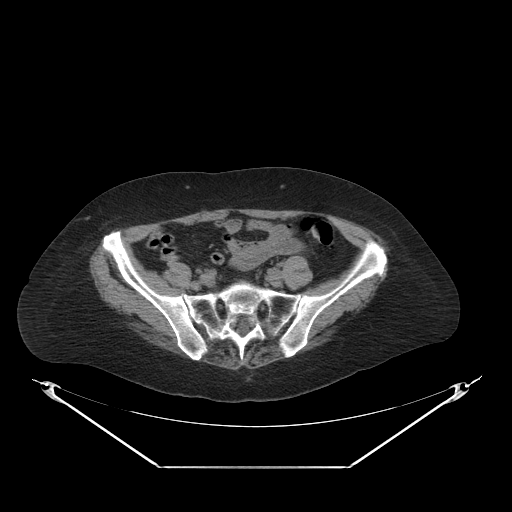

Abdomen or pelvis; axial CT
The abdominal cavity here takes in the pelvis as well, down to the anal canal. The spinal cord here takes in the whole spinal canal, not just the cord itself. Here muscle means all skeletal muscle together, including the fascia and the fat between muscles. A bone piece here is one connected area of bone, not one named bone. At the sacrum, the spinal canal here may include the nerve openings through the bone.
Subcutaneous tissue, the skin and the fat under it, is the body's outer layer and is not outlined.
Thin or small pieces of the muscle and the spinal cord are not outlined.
Outlines:
spinal cord: [[242,322],[247,322],[251,326],[251,327],[250,328],[250,329],[244,335],[240,335],[237,332],[237,331],[235,329],[235,327],[237,325],[237,324],[238,323],[241,323]]
muscle 1: [[227,207],[319,211],[353,221],[372,230],[387,241],[389,247],[387,275],[366,306],[353,317],[342,322],[331,340],[296,354],[308,343],[309,333],[315,319],[327,307],[363,280],[375,275],[381,278],[386,275],[385,268],[388,257],[385,249],[377,241],[369,238],[353,266],[336,286],[322,294],[303,294],[300,293],[309,286],[336,278],[349,266],[358,251],[358,248],[327,218],[315,214],[268,218],[232,211],[220,219],[196,221],[191,224],[168,222],[156,227],[132,244],[135,256],[147,270],[162,274],[174,261],[181,262],[189,267],[191,272],[189,288],[177,295],[162,294],[150,287],[135,269],[123,243],[121,231],[117,229],[108,232],[114,228],[153,223],[201,210]]
muscle 2: [[103,235],[101,239],[101,246],[106,252],[111,255],[123,280],[151,303],[162,314],[174,333],[176,345],[189,358],[182,357],[178,354],[154,345],[142,338],[131,329],[126,328],[117,318],[115,312],[105,305],[106,303],[100,298],[89,271],[89,258]]
muscle 3: [[285,327],[277,340],[277,345],[284,359],[251,370],[244,367],[231,370],[198,361],[208,350],[207,343],[201,330],[209,340],[229,339],[232,341],[237,347],[239,358],[242,360],[244,358],[245,348],[250,341],[254,339],[264,340],[267,334],[275,337]]
muscle 4: [[293,256],[301,256],[305,258],[307,262],[308,267],[312,272],[312,278],[310,282],[307,285],[302,286],[295,290],[292,290],[290,289],[286,285],[284,281],[284,279],[282,276],[282,269],[283,268],[283,265],[282,263],[288,258],[290,257],[292,257]]
torso: [[260,166],[291,166],[329,173],[355,182],[394,205],[432,249],[457,288],[460,319],[457,329],[449,338],[405,352],[295,397],[235,403],[162,393],[88,365],[43,361],[27,349],[16,321],[19,294],[45,248],[94,197],[122,182],[160,172],[219,172]]
abdominal cavity: [[232,212],[268,219],[320,216],[335,226],[357,251],[336,277],[309,285],[299,293],[276,290],[240,278],[217,291],[189,294],[185,292],[190,288],[192,272],[187,264],[171,261],[162,273],[147,269],[136,256],[133,244],[164,224],[191,225],[220,220]] with a hole at [[293,256],[301,256],[305,258],[307,262],[308,267],[312,272],[312,278],[310,282],[307,285],[302,286],[295,290],[292,290],[290,289],[286,285],[284,281],[284,279],[282,276],[282,269],[283,268],[283,265],[282,263],[288,258],[290,257],[292,257]]
bones: [[117,230],[140,277],[170,296],[217,292],[240,279],[322,295],[346,277],[369,239],[387,262],[383,277],[363,279],[327,306],[293,356],[278,345],[285,326],[250,340],[242,359],[232,340],[209,339],[201,329],[207,350],[193,360],[103,248],[104,235]]; inner edges: [[242,322],[247,322],[251,326],[251,327],[250,328],[250,329],[244,335],[240,335],[237,332],[237,331],[235,329],[235,327],[237,325],[237,324],[238,323],[241,323]], then [[218,299],[219,299],[220,300],[222,300],[223,301],[223,303],[224,304],[224,317],[223,318],[222,318],[221,317],[221,316],[220,315],[220,314],[218,312],[218,310],[217,309],[217,300]], then [[261,302],[263,302],[264,303],[265,303],[266,304],[266,310],[265,311],[265,315],[263,317],[261,317],[260,316],[260,314],[259,313],[259,309],[260,308],[260,303]]